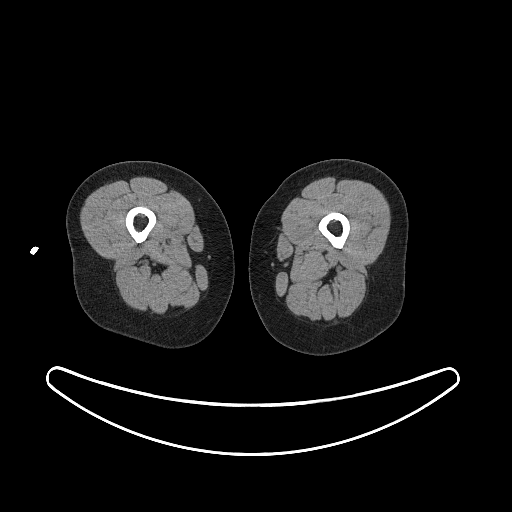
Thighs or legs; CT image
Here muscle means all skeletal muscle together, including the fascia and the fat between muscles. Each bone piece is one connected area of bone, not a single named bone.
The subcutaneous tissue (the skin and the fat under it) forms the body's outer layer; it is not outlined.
The muscle appears in 2 outlined pieces: piece 1: [[334,175],[347,176],[373,184],[383,193],[389,204],[391,223],[385,247],[369,270],[369,293],[363,306],[346,324],[321,329],[301,322],[286,312],[281,306],[274,289],[273,261],[275,257],[278,224],[285,207],[294,197],[300,194],[303,187],[313,180]] with a hole at [[331,211],[336,211],[337,212],[340,212],[344,215],[345,215],[347,217],[349,221],[349,223],[350,224],[350,230],[349,231],[349,234],[342,248],[336,248],[334,247],[322,234],[322,233],[318,228],[318,223],[320,219],[323,216],[324,216]]; piece 2: [[134,176],[148,176],[159,179],[187,198],[193,207],[196,223],[203,235],[204,264],[208,273],[206,295],[194,307],[173,319],[147,319],[129,308],[113,283],[108,264],[92,249],[80,226],[79,213],[84,200],[91,192],[105,183],[119,179],[127,180]], around a hole outlined by [[135,206],[146,206],[148,208],[152,210],[154,212],[156,216],[156,221],[155,222],[155,224],[154,226],[149,232],[145,240],[144,240],[140,243],[138,243],[136,242],[135,240],[131,236],[125,224],[125,216],[127,212],[131,208]]. The bones appear in 2 outlined pieces: piece 1: [[331,211],[336,211],[337,212],[340,212],[344,215],[345,215],[347,217],[349,221],[349,223],[350,224],[350,230],[349,231],[349,234],[342,248],[336,248],[334,247],[322,234],[322,233],[318,228],[318,223],[320,219],[323,216],[324,216]]; piece 2: [[135,206],[146,206],[148,208],[152,210],[154,212],[156,216],[156,221],[155,222],[155,224],[154,226],[149,232],[145,240],[144,240],[140,243],[138,243],[136,242],[135,240],[131,236],[125,224],[125,216],[127,212],[131,208]]. The left leg is outlined by [[331,158],[347,158],[371,164],[389,176],[401,191],[408,213],[405,296],[397,319],[385,331],[369,342],[357,348],[337,354],[309,355],[282,345],[269,334],[263,325],[250,293],[248,279],[250,238],[253,223],[259,209],[286,177],[306,165]]. The right leg is outlined by [[127,160],[161,162],[186,172],[196,179],[213,197],[228,224],[234,252],[234,281],[231,295],[214,329],[207,337],[194,345],[167,349],[110,332],[96,325],[84,312],[77,299],[73,283],[72,255],[65,224],[69,201],[75,189],[91,173],[106,165]].